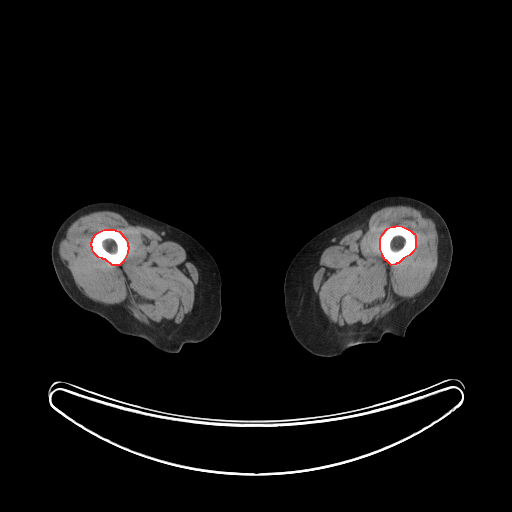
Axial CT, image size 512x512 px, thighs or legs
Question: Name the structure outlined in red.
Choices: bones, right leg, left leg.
Answer: red: bones.
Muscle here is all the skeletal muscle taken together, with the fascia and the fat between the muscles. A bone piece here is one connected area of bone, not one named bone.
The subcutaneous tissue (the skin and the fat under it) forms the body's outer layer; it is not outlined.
{"bones":[[[396,225],[402,226],[410,230],[413,233],[414,233],[415,235],[415,247],[413,251],[409,255],[403,258],[398,263],[396,263],[395,264],[391,265],[386,260],[385,260],[382,255],[382,253],[380,249],[380,238],[382,234],[387,228],[391,226],[395,226]],[[104,229],[114,229],[115,230],[119,231],[125,238],[127,242],[127,245],[128,246],[127,253],[123,261],[119,265],[112,265],[105,259],[103,259],[102,258],[98,257],[94,253],[92,249],[92,247],[91,246],[91,242],[92,241],[92,238],[96,233]]],"left_leg":[[[392,195],[408,196],[427,203],[442,216],[448,227],[453,253],[450,269],[440,292],[412,320],[403,337],[386,333],[376,343],[355,345],[335,357],[322,357],[311,353],[300,345],[293,336],[285,313],[284,279],[290,262],[298,251],[321,231],[370,202]]],"muscle":[{"outer":[[102,210],[116,212],[125,218],[161,233],[163,232],[180,244],[186,251],[186,254],[192,259],[198,272],[194,304],[183,323],[171,334],[163,335],[146,326],[119,305],[105,305],[84,295],[75,284],[69,269],[61,260],[58,249],[65,229],[79,217]],"hole":[[104,229],[114,229],[115,230],[119,231],[125,238],[127,242],[127,245],[128,246],[127,253],[123,261],[119,265],[112,265],[105,259],[103,259],[102,258],[98,257],[94,253],[92,249],[92,247],[91,246],[91,242],[92,241],[92,238],[96,233]]},{"outer":[[396,205],[413,207],[424,213],[434,222],[438,235],[438,263],[435,272],[421,293],[400,304],[382,318],[373,328],[362,333],[342,334],[329,322],[320,309],[314,295],[312,279],[315,269],[319,265],[320,256],[331,241],[360,228],[374,212],[383,207]],"hole":[[396,225],[402,226],[410,230],[413,233],[414,233],[415,235],[415,247],[413,251],[409,255],[403,258],[398,263],[396,263],[395,264],[391,265],[386,260],[385,260],[382,255],[382,253],[380,249],[380,238],[382,234],[387,228],[391,226],[395,226]]}],"right_leg":[[[96,202],[123,204],[172,225],[193,237],[211,254],[221,277],[221,318],[216,329],[208,338],[198,343],[186,343],[177,353],[167,353],[142,338],[120,333],[107,320],[83,309],[68,296],[53,267],[51,260],[52,241],[58,228],[70,214],[85,205]]]}